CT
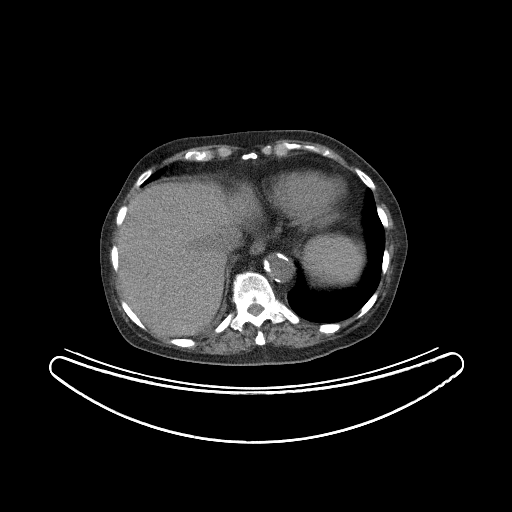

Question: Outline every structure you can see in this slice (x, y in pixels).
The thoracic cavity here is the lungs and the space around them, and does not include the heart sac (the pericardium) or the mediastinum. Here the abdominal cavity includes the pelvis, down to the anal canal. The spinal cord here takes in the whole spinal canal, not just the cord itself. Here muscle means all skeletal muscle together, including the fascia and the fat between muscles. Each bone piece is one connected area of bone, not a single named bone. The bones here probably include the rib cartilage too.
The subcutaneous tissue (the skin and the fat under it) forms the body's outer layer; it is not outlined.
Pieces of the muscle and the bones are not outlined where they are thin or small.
Answer: torso: 278 129; 312 130; 339 140; 379 173; 396 198; 407 234; 407 254; 394 299; 382 323; 370 336; 353 345; 299 363; 254 366; 202 364; 163 357; 131 345; 118 331; 109 311; 100 275; 99 247; 105 216; 132 167; 148 151; 177 138
mediastinum: 297 152; 334 160; 359 178; 367 187; 361 218; 342 229; 317 234; 347 218; 355 208; 350 175; 329 160; 291 155; 284 158; 255 161; 240 166; 230 194; 254 230; 274 240; 300 241; 314 236; 298 251; 295 283; 286 293; 288 305; 276 295; 265 275; 245 270; 232 279; 227 308; 231 270; 246 243; 246 232; 221 177; 203 173; 160 176; 166 166; 177 161; 206 162; 232 155; 255 160; 260 155; 273 155; 276 157; 284 157; 287 156; 289 154
thoracic cavity 1: 367 188; 373 194; 376 212; 384 228; 381 274; 375 291; 358 311; 340 321; 318 323; 300 317; 288 306; 287 300; 287 293; 296 283; 296 262; 307 287; 312 291; 343 290; 354 287; 359 283; 368 264; 367 244; 362 223; 362 211
thoracic cavity 2: 164 167; 165 167; 165 169; 164 169; 163 170; 163 171; 157 178; 156 178; 155 179; 153 179; 151 181; 149 181; 146 183; 144 183; 146 181; 146 180; 154 172; 155 172; 156 171; 157 171; 158 170; 159 170; 160 169; 161 169
muscle 1: 376 185; 390 212; 397 234; 396 260; 390 284; 377 309; 366 322; 334 339; 300 348; 264 345; 266 339; 261 327; 267 320; 273 324; 285 320; 298 324; 301 318; 319 324; 317 328; 321 333; 332 334; 340 329; 341 325; 338 322; 357 312; 356 318; 359 319; 374 305; 379 295; 376 290; 381 275; 386 273; 390 263; 389 250; 385 247; 388 217; 384 209; 376 204; 372 191; 376 189
muscle 2: 115 216; 119 233; 117 244; 110 248; 110 261; 113 270; 118 274; 123 294; 120 305; 134 324; 142 330; 147 328; 159 336; 171 338; 168 341; 173 345; 189 348; 196 344; 193 338; 213 326; 224 315; 231 302; 233 308; 213 331; 218 334; 230 327; 241 332; 244 325; 250 323; 256 328; 254 342; 257 346; 249 351; 229 355; 196 353; 160 345; 138 335; 123 319; 113 300; 109 248
muscle 3: 211 144; 235 145; 244 148; 251 148; 257 144; 266 144; 262 146; 259 150; 262 154; 259 155; 256 151; 252 150; 248 152; 242 153; 240 155; 240 157; 239 155; 232 154; 233 151; 229 147; 225 146; 219 146; 215 149; 211 148; 207 148; 201 150; 198 149; 188 149; 183 154; 183 160; 174 161; 153 172; 153 170; 149 167; 182 150; 185 150; 193 147; 202 146; 203 145; 210 145
muscle 4: 278 139; 295 139; 296 140; 301 140; 302 141; 314 142; 315 143; 324 145; 337 152; 343 158; 351 164; 353 164; 356 166; 356 167; 355 167; 353 169; 353 171; 352 171; 342 165; 339 162; 336 161; 335 160; 336 155; 329 148; 320 146; 319 145; 316 145; 315 144; 299 143; 298 142; 288 142; 287 141; 282 141; 281 142; 277 142; 274 144; 271 144; 269 143; 273 142; 275 140
muscle 5: 135 181; 134 183; 134 186; 136 188; 137 188; 135 193; 133 194; 131 199; 129 200; 129 202; 127 204; 127 205; 126 204; 123 204; 120 206; 120 204; 122 202; 126 194; 128 192; 130 188; 133 185
spinal cord: 252 304; 257 304; 258 305; 260 305; 263 308; 263 309; 257 315; 254 315; 253 314; 252 314; 251 313; 250 313; 248 311; 248 308
abdominal cavity 1: 190 174; 218 175; 220 177; 227 197; 244 225; 245 243; 230 270; 226 296; 227 309; 223 315; 195 337; 167 337; 146 327; 124 299; 118 273; 118 236; 120 226; 128 210; 128 204; 142 184; 159 177; 161 179; 182 175; 189 176
abdominal cavity 2: 361 219; 361 223; 363 227; 363 235; 366 244; 367 264; 358 283; 351 287; 330 291; 316 291; 310 289; 306 283; 298 263; 299 261; 298 255; 302 246; 306 241; 312 239; 315 235; 323 232; 332 232; 342 230; 357 222; 358 223
bones 1: 245 271; 258 272; 265 276; 275 295; 300 318; 298 323; 287 319; 279 323; 265 320; 260 327; 265 339; 263 345; 256 344; 257 328; 250 322; 246 322; 241 331; 230 326; 218 333; 214 331; 234 308; 231 301; 233 279; 236 274, around a hole outlined by 252 304; 257 304; 258 305; 260 305; 263 308; 263 309; 257 315; 254 315; 253 314; 252 314; 251 313; 250 313; 248 311; 248 308
bones 2: 282 142; 309 144; 323 147; 329 149; 335 155; 335 158; 332 159; 329 157; 323 156; 319 153; 305 150; 292 150; 287 155; 284 156; 276 156; 273 154; 266 155; 261 152; 260 150; 262 147; 267 144; 274 145; 277 143; 281 143
bones 3: 219 147; 229 148; 232 151; 232 153; 229 156; 227 156; 223 158; 222 157; 216 156; 213 159; 207 160; 206 161; 195 161; 194 160; 185 160; 184 159; 184 154; 186 151; 188 150; 198 150; 199 151; 206 150; 207 149; 215 150
bones 4: 121 300; 124 300; 127 303; 129 307; 133 311; 133 312; 137 316; 137 317; 139 318; 141 322; 145 326; 146 328; 145 329; 142 329; 131 320; 131 319; 128 316; 128 315; 123 309; 121 305; 121 303; 120 302
bones 5: 357 167; 358 168; 359 168; 361 170; 362 170; 364 172; 365 172; 371 178; 371 179; 373 181; 373 182; 375 185; 375 189; 374 190; 372 190; 370 188; 369 188; 367 186; 366 186; 366 185; 355 173; 355 172; 354 171; 354 169
bones 6: 376 291; 377 292; 378 295; 377 296; 377 298; 376 299; 376 300; 374 302; 373 305; 361 317; 360 317; 359 318; 357 318; 357 314; 359 312; 359 311; 360 310; 360 309; 362 307; 362 306; 370 298; 370 297
bones 7: 172 338; 191 338; 192 339; 193 339; 194 340; 194 341; 195 342; 195 344; 193 346; 190 346; 189 347; 183 347; 182 346; 179 346; 178 345; 176 345; 175 344; 173 344; 172 343; 171 343; 169 341; 170 340; 170 339; 171 339
bones 8: 328 323; 339 323; 339 324; 340 325; 340 327; 339 328; 339 329; 337 331; 336 331; 335 332; 333 332; 332 333; 324 333; 323 332; 321 332; 319 330; 319 329; 318 328; 319 327; 319 325; 320 324; 327 324
bones 9: 113 245; 116 245; 117 246; 117 255; 118 256; 118 269; 117 270; 117 271; 115 271; 114 270; 114 269; 113 268; 113 266; 112 265; 112 262; 111 261; 111 255; 110 254; 110 252; 111 251; 111 248; 112 247; 112 246
bones 10: 148 168; 150 168; 152 170; 152 173; 145 180; 145 181; 143 183; 142 183; 141 184; 141 185; 140 185; 139 186; 139 187; 136 187; 135 186; 135 183; 136 182; 136 180; 138 178; 138 177; 140 175; 140 174; 141 174
bones 11: 123 205; 126 205; 127 206; 127 210; 126 211; 126 213; 125 214; 125 216; 123 219; 123 221; 121 223; 121 224; 119 226; 118 226; 116 224; 116 216; 117 215; 117 213; 118 212; 118 210; 120 208; 120 207
bones 12: 376 205; 379 205; 383 209; 383 210; 386 214; 386 216; 387 217; 387 222; 388 223; 388 227; 387 228; 385 228; 383 226; 383 225; 380 220; 380 218; 379 217; 379 216; 378 215; 378 213; 377 212; 377 208; 376 207
bones 13: 385 248; 386 248; 388 250; 388 253; 389 254; 389 263; 388 264; 388 266; 387 267; 387 269; 386 270; 386 271; 385 272; 385 273; 384 274; 382 274; 382 261; 383 260; 383 254; 384 253; 384 250; 385 249
pericardium: 291 156; 308 156; 315 159; 326 160; 345 171; 353 183; 354 208; 347 217; 325 227; 314 235; 307 236; 300 240; 274 239; 263 235; 250 225; 241 214; 231 194; 230 188; 240 167; 253 164; 255 162; 263 162; 271 159; 284 159